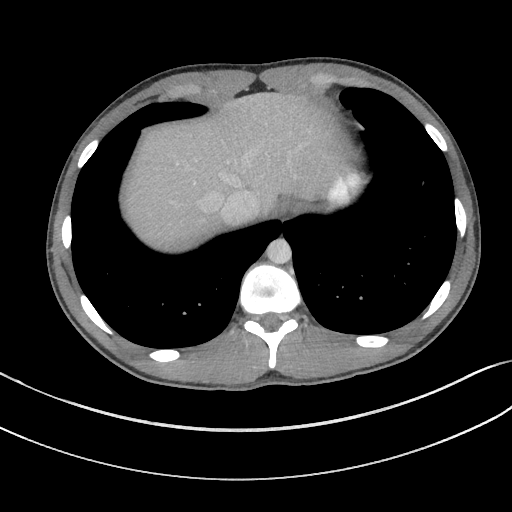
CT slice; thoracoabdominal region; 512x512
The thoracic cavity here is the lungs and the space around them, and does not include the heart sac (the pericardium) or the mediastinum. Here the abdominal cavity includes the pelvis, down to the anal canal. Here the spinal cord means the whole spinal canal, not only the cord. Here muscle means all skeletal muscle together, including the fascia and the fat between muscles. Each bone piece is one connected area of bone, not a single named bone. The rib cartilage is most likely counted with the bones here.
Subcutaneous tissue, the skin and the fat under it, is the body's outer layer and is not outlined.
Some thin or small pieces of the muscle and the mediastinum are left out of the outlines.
{"thoracic_cavity":[[[353,335],[391,331],[426,308],[447,275],[456,228],[449,170],[422,125],[390,96],[372,89],[349,88],[341,92],[340,101],[365,128],[359,137],[372,180],[351,206],[328,216],[304,215],[286,221],[284,233],[292,248],[302,297],[315,319],[331,330]],[[153,349],[189,347],[220,333],[236,306],[243,273],[280,230],[279,221],[266,221],[172,256],[149,248],[122,220],[116,194],[140,128],[197,116],[209,109],[200,104],[155,103],[121,122],[80,171],[72,199],[71,253],[83,292],[112,329],[131,342]]],"muscle":[{"outer":[[210,384],[243,384],[255,381],[260,377],[270,372],[274,372],[294,379],[312,379],[320,377],[328,377],[364,367],[369,367],[372,365],[375,365],[378,363],[381,363],[393,359],[405,353],[419,341],[423,339],[427,334],[431,332],[452,310],[458,302],[467,285],[475,260],[474,216],[473,215],[472,202],[471,201],[469,189],[466,184],[458,156],[449,136],[442,126],[425,107],[403,88],[388,80],[373,75],[364,70],[343,64],[335,64],[334,63],[309,63],[308,64],[297,64],[296,65],[280,66],[274,68],[269,68],[258,73],[246,70],[236,70],[235,69],[220,69],[219,70],[210,70],[209,71],[184,72],[162,78],[152,83],[149,86],[144,88],[129,98],[124,100],[107,113],[96,124],[90,132],[86,135],[80,143],[72,158],[62,184],[57,205],[57,210],[54,217],[54,223],[52,230],[51,252],[53,259],[53,270],[55,274],[59,290],[64,299],[64,301],[77,321],[102,346],[119,359],[137,370],[141,371],[148,375],[167,380],[179,381],[180,382],[192,382],[193,383],[209,383]],"hole":[[270,369],[275,368],[278,345],[298,326],[291,313],[303,302],[323,326],[355,335],[361,347],[378,348],[389,341],[381,333],[421,313],[427,318],[449,293],[450,281],[445,278],[456,236],[465,234],[466,214],[453,193],[443,155],[446,142],[434,126],[422,125],[393,98],[370,89],[377,84],[360,77],[319,72],[310,81],[344,86],[289,89],[256,82],[240,90],[201,92],[199,85],[177,85],[157,96],[161,103],[132,114],[101,141],[92,140],[77,162],[80,172],[71,213],[62,222],[61,241],[71,251],[83,291],[80,303],[90,320],[110,335],[114,330],[152,348],[151,359],[171,362],[180,357],[179,348],[220,333],[238,305],[249,318],[244,329],[268,346]]}],"mediastinum":[[[294,273],[292,267],[292,252],[291,251],[291,248],[288,242],[285,239],[283,233],[283,227],[285,221],[284,223],[281,223],[280,222],[281,225],[280,234],[268,244],[263,253],[249,266],[247,270],[257,262],[260,261],[272,261],[281,264]],[[339,100],[339,95],[340,94],[340,92],[343,89],[344,89],[345,88],[348,88],[348,87],[345,87],[344,86],[340,86],[339,85],[335,85],[334,84],[333,84],[333,85],[331,87],[331,88],[328,91],[328,92],[331,95],[334,96]]],"torso":[[[228,393],[245,393],[268,385],[327,385],[405,363],[443,332],[473,288],[481,257],[481,224],[466,161],[437,112],[409,85],[382,69],[329,56],[170,68],[138,82],[106,106],[66,158],[50,206],[45,258],[54,296],[69,322],[98,353],[144,383]]],"bones":[{"outer":[[270,369],[275,368],[278,345],[288,333],[295,330],[298,326],[296,320],[291,317],[291,313],[303,302],[303,300],[292,272],[281,265],[272,262],[260,262],[245,273],[241,282],[237,303],[249,318],[243,324],[244,329],[262,339],[268,346],[268,366]],"hole":[[268,331],[271,331],[272,330],[276,330],[277,329],[277,328],[280,325],[280,324],[282,322],[282,321],[283,320],[277,314],[276,314],[275,313],[267,313],[266,314],[264,314],[263,315],[261,315],[261,316],[259,318],[259,322],[265,328],[265,329]]},[[361,88],[369,88],[370,87],[378,87],[379,86],[374,82],[371,82],[360,77],[339,78],[335,76],[332,76],[327,73],[320,73],[319,72],[312,75],[309,78],[309,80],[314,83],[324,83],[328,81],[333,81],[341,84],[355,87],[360,87]],[[162,102],[168,101],[169,100],[171,100],[172,99],[174,99],[181,96],[184,96],[188,94],[199,92],[201,90],[201,88],[202,87],[199,85],[196,85],[192,83],[177,85],[172,88],[167,89],[161,92],[157,96],[158,99]],[[110,335],[111,335],[113,333],[113,330],[112,330],[111,328],[102,319],[102,318],[96,311],[96,310],[91,304],[86,296],[83,293],[82,293],[80,295],[79,299],[80,300],[81,306],[84,312],[90,319],[90,320],[95,325],[96,325],[100,329]],[[422,319],[425,319],[429,316],[430,316],[433,313],[434,313],[444,302],[444,301],[446,299],[449,293],[449,290],[450,289],[450,281],[449,280],[446,279],[440,286],[439,289],[431,300],[427,308],[423,312],[422,314],[422,316],[421,317]],[[365,348],[378,348],[379,347],[382,347],[383,346],[384,346],[389,341],[389,339],[387,337],[386,337],[385,336],[383,336],[382,335],[358,335],[355,337],[355,342],[356,343],[356,344],[357,345],[358,345],[361,347],[364,347]],[[460,238],[463,238],[463,237],[465,234],[465,231],[466,230],[466,214],[465,213],[465,210],[462,205],[462,203],[460,201],[460,200],[457,197],[455,197],[455,198],[454,199],[454,206],[455,207],[455,222],[456,223],[456,227],[457,228],[457,235]],[[158,362],[171,362],[172,361],[174,361],[175,360],[176,360],[177,359],[178,359],[180,357],[180,352],[177,349],[156,349],[155,350],[153,350],[151,352],[150,352],[148,354],[148,356],[151,359],[152,359],[153,360],[154,360],[155,361],[157,361]],[[443,153],[445,153],[448,149],[447,147],[447,145],[446,144],[446,142],[444,138],[439,132],[439,131],[434,126],[433,126],[429,123],[424,123],[423,124],[423,126],[425,130],[433,140],[433,141],[437,145],[437,146],[440,149],[440,150]],[[67,250],[70,250],[70,246],[71,245],[71,219],[70,218],[70,215],[67,215],[64,218],[64,219],[63,220],[63,221],[62,222],[62,225],[61,226],[61,241],[62,242],[62,244],[63,245],[63,247],[65,249],[66,249]],[[80,170],[81,169],[81,168],[84,165],[84,164],[87,161],[87,160],[92,155],[92,154],[95,151],[95,150],[100,141],[98,139],[94,139],[93,140],[92,140],[84,148],[84,149],[82,151],[82,152],[78,159],[78,161],[77,162],[77,168]]],"abdominal_cavity":[[[172,255],[266,220],[284,222],[304,214],[328,215],[359,199],[372,177],[358,137],[364,128],[327,92],[332,84],[279,89],[256,82],[240,90],[205,91],[181,97],[207,106],[210,109],[203,114],[141,128],[120,179],[117,203],[123,220],[144,243]]],"spinal_cord":[[[268,331],[271,331],[272,330],[276,330],[277,329],[277,328],[280,325],[280,324],[282,322],[282,321],[283,320],[277,314],[276,314],[275,313],[267,313],[266,314],[264,314],[263,315],[261,315],[261,316],[259,318],[259,322],[265,328],[265,329]]]}